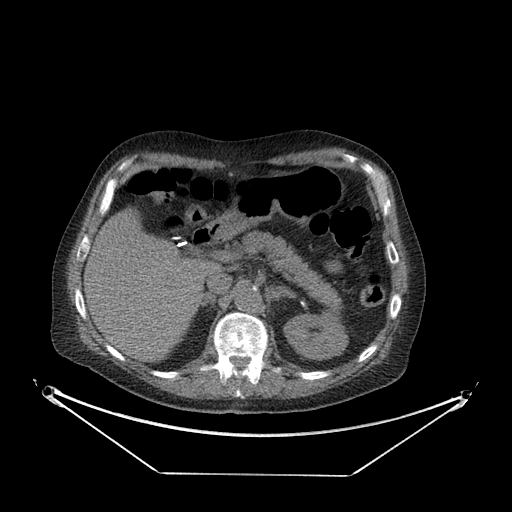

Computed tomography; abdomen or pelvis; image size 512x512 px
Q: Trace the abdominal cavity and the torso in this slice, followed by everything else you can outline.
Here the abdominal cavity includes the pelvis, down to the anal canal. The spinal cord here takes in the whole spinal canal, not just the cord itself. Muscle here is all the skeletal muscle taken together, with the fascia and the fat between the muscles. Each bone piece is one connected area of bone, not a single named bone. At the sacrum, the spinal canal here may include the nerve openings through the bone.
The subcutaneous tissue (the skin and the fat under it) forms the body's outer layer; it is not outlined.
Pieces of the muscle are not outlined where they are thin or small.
A: {"abdominal_cavity":[[[320,163],[345,164],[367,176],[384,227],[391,269],[388,313],[383,327],[357,357],[329,369],[303,369],[283,361],[259,317],[237,310],[219,318],[198,357],[174,370],[151,369],[125,357],[98,333],[86,309],[81,272],[115,190],[126,179],[149,168]]],"torso":[[[302,128],[328,131],[366,145],[385,159],[399,181],[426,273],[421,320],[408,366],[400,378],[384,388],[317,410],[283,414],[208,414],[147,401],[55,351],[49,333],[51,272],[55,253],[95,169],[109,151],[132,136],[161,129],[238,140]]],"spinal_cord":[[[233,356],[235,356],[236,357],[248,357],[249,358],[249,362],[245,366],[245,367],[244,367],[243,368],[237,368],[236,367],[235,367],[235,366],[230,361],[230,358],[231,357],[232,357]]],"bones":[{"outer":[[234,311],[253,315],[263,322],[268,334],[268,344],[262,359],[270,366],[280,366],[280,373],[265,367],[256,384],[250,382],[245,376],[237,378],[234,375],[222,384],[216,369],[199,370],[200,366],[217,361],[218,354],[212,337],[214,328],[220,318]],"hole":[[233,356],[235,356],[236,357],[248,357],[249,358],[249,362],[245,366],[245,367],[244,367],[243,368],[237,368],[236,367],[235,367],[235,366],[230,361],[230,358],[231,357],[232,357]]},[[338,153],[346,153],[355,156],[357,157],[360,161],[368,163],[383,175],[385,179],[385,183],[387,188],[387,195],[390,201],[389,213],[386,216],[383,216],[382,215],[382,211],[378,203],[377,195],[370,178],[360,169],[357,164],[354,164],[347,161]],[[112,177],[117,177],[117,184],[115,187],[114,193],[113,194],[113,197],[112,198],[112,201],[109,206],[109,208],[105,213],[105,214],[103,216],[102,216],[98,212],[98,207],[99,206],[99,203],[100,202],[101,196],[104,190],[105,185],[107,181]],[[316,370],[329,370],[330,371],[330,374],[329,375],[328,375],[327,376],[325,376],[322,378],[319,378],[318,379],[313,379],[312,380],[309,380],[308,379],[303,379],[298,375],[296,375],[295,374],[295,372],[297,372],[298,371],[315,371]],[[85,234],[86,234],[88,236],[88,237],[90,240],[90,245],[89,246],[89,250],[87,253],[87,255],[85,257],[85,259],[83,261],[78,261],[76,259],[76,253],[77,252],[77,250],[78,249],[78,247],[80,244],[80,242],[81,241],[83,236]],[[77,287],[79,287],[80,288],[81,290],[81,292],[82,293],[82,295],[83,296],[83,300],[84,301],[84,304],[85,305],[85,309],[87,313],[87,318],[85,320],[84,320],[82,318],[82,317],[78,312],[76,308],[76,306],[75,305],[75,289]],[[394,293],[398,293],[399,294],[399,295],[400,296],[400,298],[401,299],[401,305],[400,306],[400,309],[399,310],[399,311],[398,312],[396,317],[394,319],[392,319],[389,316],[389,306],[390,305],[390,301],[391,300],[391,297],[392,296],[392,295]],[[389,240],[390,240],[391,241],[392,241],[392,242],[394,244],[394,246],[395,247],[395,248],[397,251],[397,253],[398,254],[398,257],[399,258],[399,261],[396,264],[391,264],[390,263],[390,262],[388,259],[388,257],[386,254],[386,243]],[[151,370],[159,370],[160,371],[179,371],[180,372],[180,374],[179,375],[179,376],[177,378],[165,378],[164,377],[160,377],[159,376],[157,376],[156,375],[153,375],[151,373],[150,373],[150,371]],[[374,343],[377,345],[377,348],[372,353],[372,354],[370,356],[369,356],[364,360],[363,360],[360,362],[358,362],[357,361],[357,358],[358,357],[358,356],[360,354],[360,353],[362,351],[363,351],[368,346],[369,346],[371,344],[373,344]],[[135,154],[137,154],[137,156],[132,161],[132,162],[129,165],[129,166],[122,173],[117,173],[117,172],[116,171],[116,170],[117,169],[117,168],[118,167],[118,166],[123,161],[124,161],[125,160],[126,160],[127,159],[129,159],[130,158],[131,158]],[[106,343],[109,344],[112,347],[113,347],[116,350],[117,350],[123,356],[124,356],[124,357],[125,358],[125,360],[124,361],[122,361],[121,360],[118,359],[113,355],[112,355],[107,350],[107,349],[105,347],[105,344]],[[238,388],[240,390],[240,391],[241,392],[241,393],[244,396],[244,398],[243,399],[241,399],[240,398],[239,398],[238,397],[236,397],[235,396],[234,396],[234,393],[236,391],[236,390]]],"muscle":[{"outer":[[330,146],[337,146],[353,151],[360,156],[367,158],[377,164],[388,176],[394,194],[397,221],[400,236],[402,240],[402,244],[405,249],[405,255],[408,266],[408,292],[404,296],[405,297],[405,308],[403,313],[403,317],[401,319],[399,327],[394,334],[394,338],[392,341],[389,353],[387,357],[381,363],[372,366],[359,375],[340,385],[326,389],[318,393],[302,397],[290,398],[289,399],[276,399],[274,397],[272,397],[271,398],[247,399],[246,400],[194,399],[179,396],[173,393],[159,389],[128,373],[103,356],[87,349],[86,346],[79,338],[77,331],[76,319],[74,316],[74,312],[72,310],[72,306],[70,304],[70,299],[67,289],[67,262],[71,249],[77,237],[77,234],[82,225],[82,221],[87,211],[87,208],[95,188],[106,171],[117,160],[127,154],[131,154],[139,151],[149,151],[150,152],[176,153],[180,155],[185,155],[196,158],[216,159],[224,162],[229,161],[234,165],[239,165],[244,162],[252,160],[265,160],[268,158],[279,155],[284,155],[291,152],[299,152],[304,150],[312,150]],"holes":[[[338,153],[355,156],[383,175],[390,207],[381,216],[382,239],[392,241],[399,258],[390,265],[390,277],[391,294],[399,294],[400,309],[394,319],[387,314],[371,343],[377,348],[364,360],[358,362],[355,357],[330,368],[327,376],[303,379],[295,372],[306,370],[283,361],[267,327],[262,359],[280,366],[280,373],[265,367],[256,384],[234,375],[222,384],[216,369],[199,370],[218,359],[212,327],[200,355],[175,369],[180,372],[177,378],[165,378],[127,357],[122,361],[112,355],[89,317],[84,320],[78,312],[75,289],[82,286],[83,262],[76,253],[83,236],[91,240],[102,220],[98,207],[110,178],[117,177],[116,189],[142,169],[162,167],[329,163],[360,171]],[[135,154],[137,154],[137,156],[132,161],[132,162],[129,165],[129,166],[122,173],[117,173],[117,172],[116,171],[116,170],[117,169],[117,168],[118,167],[118,166],[123,161],[124,161],[125,160],[126,160],[127,159],[129,159],[130,158],[131,158]],[[238,388],[240,390],[240,391],[241,392],[241,393],[244,396],[244,398],[243,399],[241,399],[240,398],[239,398],[238,397],[236,397],[235,396],[234,396],[234,393],[236,391],[236,390]]]}]}